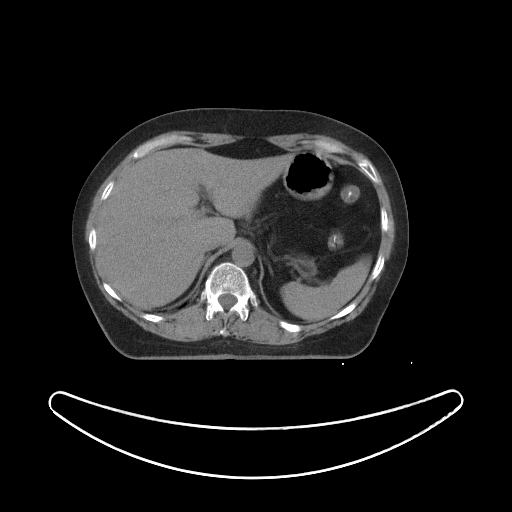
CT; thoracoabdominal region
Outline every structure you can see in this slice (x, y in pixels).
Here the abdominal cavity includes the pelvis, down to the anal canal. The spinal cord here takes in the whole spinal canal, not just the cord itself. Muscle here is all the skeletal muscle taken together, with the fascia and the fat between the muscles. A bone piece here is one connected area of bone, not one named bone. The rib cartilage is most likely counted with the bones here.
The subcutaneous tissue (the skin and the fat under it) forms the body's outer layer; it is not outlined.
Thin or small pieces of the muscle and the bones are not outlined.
Outlined structures:
muscle 1: [[138,145],[130,154],[134,160],[117,181],[115,183],[112,179],[103,188],[99,197],[103,205],[96,227],[89,230],[87,239],[89,249],[92,252],[95,250],[97,263],[105,280],[102,286],[114,299],[119,302],[123,300],[140,310],[143,312],[140,315],[143,319],[154,323],[165,318],[161,314],[181,309],[193,303],[198,296],[200,301],[205,301],[204,316],[208,321],[215,313],[221,314],[225,321],[234,313],[242,321],[246,321],[250,312],[249,304],[257,308],[258,299],[264,309],[280,319],[279,326],[291,333],[300,332],[304,325],[324,320],[331,321],[345,316],[357,306],[358,302],[355,300],[368,280],[373,281],[385,264],[384,255],[378,252],[381,234],[388,230],[389,220],[385,207],[380,206],[374,186],[380,182],[375,167],[390,200],[394,220],[394,241],[376,290],[362,312],[355,318],[325,332],[308,336],[295,343],[281,345],[259,344],[223,336],[229,334],[224,326],[218,332],[221,335],[190,342],[176,341],[147,331],[124,315],[108,302],[96,283],[84,233],[97,189],[113,169]]
muscle 2: [[172,130],[227,133],[232,135],[247,136],[271,136],[303,132],[312,134],[324,134],[341,141],[353,149],[363,153],[368,158],[354,154],[353,158],[358,167],[345,162],[338,154],[344,154],[346,152],[345,148],[337,142],[324,139],[302,140],[301,144],[303,145],[303,147],[294,150],[280,147],[258,137],[248,137],[220,145],[201,146],[188,143],[193,140],[193,138],[189,135],[174,133],[161,136],[140,144],[156,135]]
torso: [[196,107],[312,111],[356,127],[377,141],[387,152],[397,170],[405,195],[409,221],[409,247],[403,273],[389,305],[373,339],[362,352],[345,359],[135,360],[122,355],[110,344],[85,298],[75,268],[71,222],[78,193],[102,155],[128,130],[157,115]]
abdominal cavity: [[248,138],[289,151],[337,154],[371,181],[381,233],[360,293],[315,323],[281,319],[262,306],[252,288],[260,260],[251,245],[240,241],[212,261],[193,302],[160,314],[130,305],[106,281],[96,255],[100,212],[116,182],[135,160],[157,148],[213,147]]
spinal cord: [[223,294],[230,294],[231,295],[232,295],[233,296],[234,296],[236,299],[236,301],[230,307],[229,307],[227,309],[226,309],[224,307],[223,307],[222,306],[222,305],[219,302],[219,301],[218,300],[218,299],[219,298],[219,297],[221,295],[222,295]]
bones 1: [[225,261],[231,262],[243,269],[257,297],[257,307],[250,303],[248,304],[249,312],[246,320],[242,320],[236,312],[230,314],[226,320],[219,312],[215,312],[211,319],[206,319],[206,301],[200,300],[200,293],[204,288],[205,281],[212,268]] with a hole at [[223,294],[230,294],[231,295],[232,295],[233,296],[234,296],[236,299],[236,301],[230,307],[229,307],[227,309],[226,309],[224,307],[223,307],[222,306],[222,305],[219,302],[219,301],[218,300],[218,299],[219,298],[219,297],[221,295],[222,295]]
bones 2: [[173,134],[175,135],[184,135],[185,136],[189,136],[192,138],[192,140],[189,142],[187,143],[178,143],[177,144],[173,144],[167,146],[157,147],[154,149],[152,149],[145,155],[136,159],[131,157],[131,154],[140,145],[158,139],[161,137],[164,137]]
bones 3: [[305,140],[307,140],[308,141],[311,141],[312,140],[324,140],[325,141],[328,141],[329,142],[337,143],[341,145],[344,148],[345,152],[344,153],[332,153],[331,152],[320,151],[316,149],[314,147],[304,147],[304,145],[302,144],[302,141],[304,141]]
bones 4: [[354,155],[357,155],[358,156],[360,156],[361,157],[366,158],[367,159],[368,159],[371,162],[371,163],[373,165],[373,166],[375,169],[376,174],[379,179],[379,182],[378,183],[373,183],[372,182],[372,181],[359,168],[359,167],[354,158]]
bones 5: [[380,253],[383,255],[383,257],[384,258],[384,264],[383,265],[383,267],[381,271],[379,273],[379,274],[373,280],[371,281],[369,281],[369,277],[370,276],[370,274],[374,267],[374,265],[377,259],[378,254]]
bones 6: [[353,301],[356,301],[357,302],[357,304],[356,306],[350,312],[347,313],[345,315],[341,317],[339,317],[338,318],[335,318],[331,320],[328,320],[328,319],[330,317],[333,316],[335,314],[339,312],[343,308],[347,306]]
bones 7: [[280,320],[283,320],[284,321],[286,321],[289,323],[292,323],[293,324],[297,324],[298,325],[300,325],[301,326],[302,326],[302,328],[301,329],[301,330],[298,332],[291,332],[290,331],[288,331],[280,326],[280,325],[279,324],[279,321]]
bones 8: [[380,207],[384,207],[384,208],[385,209],[385,210],[386,211],[386,213],[387,214],[387,219],[388,220],[388,228],[387,229],[387,230],[385,232],[383,232],[381,230],[381,224],[380,223]]
bones 9: [[92,228],[94,228],[95,229],[95,231],[96,232],[96,245],[95,246],[95,249],[93,251],[92,251],[90,249],[90,248],[89,247],[89,244],[88,243],[88,239],[89,238],[89,233],[90,232],[90,230]]
bones 10: [[143,313],[151,313],[152,314],[157,314],[158,315],[161,315],[164,318],[162,320],[161,320],[160,321],[159,321],[158,322],[154,322],[153,321],[150,321],[149,320],[147,320],[146,319],[145,319],[144,318],[143,318],[141,316],[141,315]]
bones 11: [[112,180],[114,182],[114,185],[113,186],[113,187],[112,188],[112,189],[111,190],[111,191],[110,192],[109,195],[104,200],[101,200],[100,197],[101,196],[101,194],[102,193],[102,192],[103,191],[104,188],[106,186],[106,185],[110,181],[111,181]]
bones 12: [[103,282],[106,282],[113,289],[113,290],[121,298],[121,299],[122,300],[121,301],[119,301],[118,300],[117,300],[115,298],[114,298],[111,295],[110,295],[106,291],[106,290],[104,288],[104,287],[103,286]]
mediastinum: [[240,242],[244,242],[246,244],[251,246],[253,248],[253,250],[259,260],[258,277],[251,284],[248,275],[244,269],[239,265],[231,261],[227,260],[221,261],[219,263],[214,265],[211,268],[210,271],[210,267],[215,259],[225,252],[227,252],[228,250]]